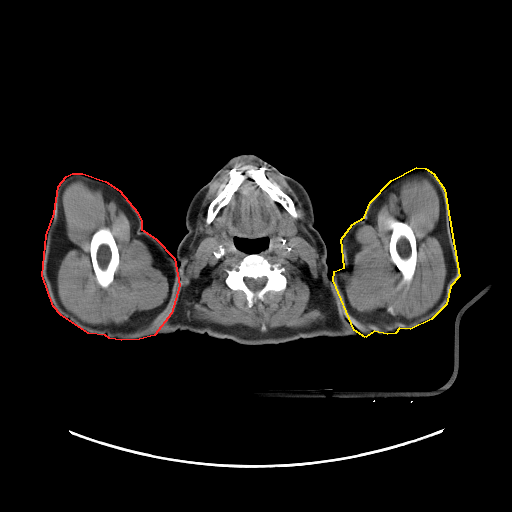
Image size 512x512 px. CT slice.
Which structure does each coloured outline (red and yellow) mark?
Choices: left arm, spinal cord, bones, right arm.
red: right arm; yellow: left arm.
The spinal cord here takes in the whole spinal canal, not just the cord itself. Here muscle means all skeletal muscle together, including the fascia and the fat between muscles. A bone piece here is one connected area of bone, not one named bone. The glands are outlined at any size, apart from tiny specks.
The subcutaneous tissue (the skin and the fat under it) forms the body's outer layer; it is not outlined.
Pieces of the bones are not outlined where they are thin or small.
right arm: [[72,173],[82,173],[105,181],[119,190],[137,212],[141,221],[141,229],[155,238],[174,258],[179,285],[171,313],[154,335],[139,339],[121,340],[109,338],[105,335],[88,333],[61,315],[53,306],[42,275],[46,235],[54,213],[58,186],[66,176]]
left arm: [[416,167],[425,168],[433,173],[444,189],[459,276],[450,286],[446,304],[431,319],[410,329],[399,328],[395,333],[387,334],[374,331],[365,337],[354,330],[333,280],[334,271],[344,267],[341,239],[352,224],[364,217],[370,202],[391,180]]
head and neck: [[242,154],[259,157],[298,181],[307,191],[313,206],[314,227],[326,245],[327,275],[330,279],[332,277],[342,307],[357,335],[247,345],[188,330],[156,334],[172,313],[180,285],[175,256],[187,232],[185,217],[188,205],[194,194],[216,172],[229,160]] with a hole at [[236,237],[238,238],[246,238],[247,239],[257,239],[258,238],[267,238],[269,240],[269,243],[268,244],[268,246],[265,249],[263,249],[261,250],[258,253],[247,253],[245,251],[242,251],[240,249],[238,249],[238,248],[236,247],[234,243],[234,238]]
submandibular glands 1: [[286,218],[290,218],[296,224],[296,225],[297,226],[297,232],[292,237],[287,237],[286,236],[281,236],[278,233],[278,227],[279,226],[279,223],[283,219],[285,219]]
submandibular glands 2: [[217,218],[220,218],[223,221],[223,224],[222,225],[222,229],[219,232],[216,232],[213,229],[213,222]]
bones 1: [[248,254],[259,254],[272,264],[280,263],[285,269],[283,274],[286,278],[286,286],[282,291],[276,292],[268,291],[264,295],[262,301],[257,301],[251,307],[248,306],[246,295],[242,290],[232,290],[225,282],[227,276],[226,270],[236,264],[237,265]], around a hole outlined by [[262,277],[265,277],[266,278],[266,281],[265,282],[264,285],[262,287],[262,288],[257,291],[253,291],[252,290],[251,290],[248,287],[248,286],[246,284],[246,283],[245,282],[245,278],[252,278],[253,279],[257,279],[258,278],[261,278]]
bones 2: [[247,165],[250,165],[264,173],[268,179],[275,182],[291,198],[299,216],[297,218],[294,218],[278,202],[273,200],[253,179],[247,177],[233,193],[228,203],[218,211],[209,224],[206,224],[207,210],[210,203],[225,187],[233,174],[240,170],[243,166]]
bones 3: [[103,227],[109,228],[111,231],[112,235],[115,240],[117,249],[118,250],[118,253],[119,254],[119,263],[117,269],[114,273],[113,281],[107,288],[102,288],[97,282],[94,273],[91,255],[90,254],[90,242],[91,241],[91,238],[93,234],[97,230]]
bones 4: [[397,221],[405,222],[411,227],[414,233],[415,240],[416,241],[417,258],[416,259],[415,271],[413,276],[411,278],[405,279],[404,280],[402,278],[401,273],[392,262],[391,260],[391,256],[390,255],[390,251],[389,250],[389,243],[390,242],[392,229]]
muscle 1: [[246,160],[254,162],[261,167],[263,166],[281,176],[302,201],[305,211],[305,225],[315,240],[315,246],[319,254],[319,285],[327,307],[326,313],[319,322],[305,327],[282,326],[261,331],[257,328],[252,328],[242,324],[222,325],[206,320],[187,318],[183,315],[180,309],[180,295],[183,275],[190,253],[190,244],[195,233],[196,222],[201,210],[201,204],[210,186],[216,179],[226,170],[230,169],[239,162]]; inner edges: [[236,237],[267,238],[268,246],[258,253],[272,264],[280,263],[285,269],[283,272],[286,278],[285,288],[282,291],[268,291],[262,301],[257,301],[251,307],[248,306],[242,290],[232,290],[225,282],[226,270],[237,265],[248,254],[236,247],[234,243]], then [[247,165],[250,165],[264,173],[268,179],[275,182],[291,198],[299,216],[297,218],[294,218],[278,202],[273,200],[253,179],[247,177],[233,193],[228,203],[218,211],[209,224],[206,224],[207,210],[210,203],[225,187],[233,174],[240,170],[243,166]], then [[286,218],[290,218],[296,224],[296,225],[297,226],[297,232],[292,237],[287,237],[286,236],[281,236],[278,233],[278,227],[279,226],[279,223],[283,219],[285,219]], then [[217,218],[220,218],[223,221],[223,224],[222,225],[222,229],[219,232],[216,232],[213,229],[213,222]]
muscle 2: [[78,179],[96,188],[101,188],[116,201],[130,221],[130,228],[135,237],[148,247],[153,261],[168,277],[169,286],[158,308],[133,322],[110,323],[106,325],[90,324],[66,309],[59,298],[57,273],[61,260],[66,253],[67,245],[62,194],[69,183]]; inner edge: [[103,227],[109,228],[111,231],[112,235],[115,240],[117,249],[118,250],[118,253],[119,254],[119,263],[117,269],[114,273],[113,281],[107,288],[102,288],[97,282],[94,273],[91,255],[90,254],[90,242],[91,241],[91,238],[93,234],[97,230]]
muscle 3: [[413,177],[427,178],[434,185],[439,197],[439,219],[435,231],[446,265],[446,276],[441,296],[425,313],[410,319],[397,318],[390,315],[374,315],[371,312],[358,312],[348,304],[345,294],[345,282],[353,271],[355,231],[372,219],[388,195],[397,186]] with a hole at [[397,221],[405,222],[411,227],[414,233],[415,240],[416,241],[417,258],[416,259],[415,271],[413,276],[411,278],[405,279],[404,280],[402,278],[401,273],[392,262],[391,260],[391,256],[390,255],[390,251],[389,250],[389,243],[390,242],[392,229]]
spinal cord: [[262,277],[265,277],[266,278],[266,281],[265,282],[264,285],[262,287],[262,288],[257,291],[253,291],[252,290],[251,290],[248,287],[248,286],[246,284],[246,283],[245,282],[245,278],[252,278],[253,279],[257,279],[258,278],[261,278]]